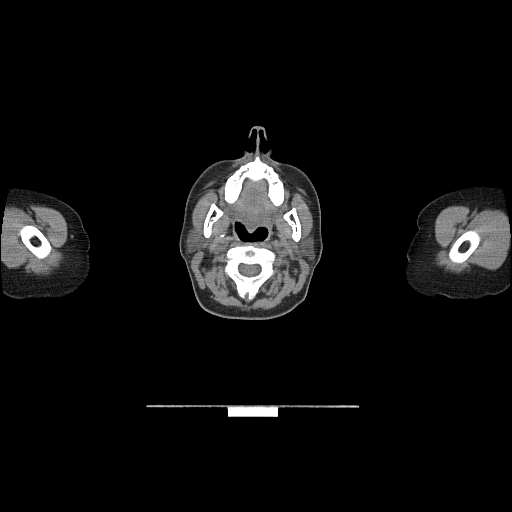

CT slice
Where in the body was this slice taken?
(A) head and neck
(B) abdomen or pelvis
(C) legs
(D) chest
(A) head and neck
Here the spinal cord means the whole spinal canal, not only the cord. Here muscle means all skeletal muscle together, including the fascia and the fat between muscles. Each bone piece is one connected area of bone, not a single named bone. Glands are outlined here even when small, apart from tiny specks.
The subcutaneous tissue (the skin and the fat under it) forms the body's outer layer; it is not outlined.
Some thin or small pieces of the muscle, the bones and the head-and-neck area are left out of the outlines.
{"parotid_glands":[[[192,226],[192,227],[196,231],[200,233],[200,235],[204,240],[204,245],[203,247],[201,248],[201,249],[196,251],[195,253],[193,254],[190,260],[188,259],[187,257],[186,247],[185,246],[185,239],[186,238],[186,236],[187,235],[188,231],[192,227]],[[312,232],[314,233],[316,237],[316,240],[317,241],[317,252],[316,253],[316,255],[314,259],[312,261],[312,262],[311,262],[309,264],[300,251],[300,249],[299,248],[299,242],[305,239],[307,237],[307,236],[308,236],[309,234],[310,234]]],"muscle":[{"outer":[[250,157],[226,178],[225,201],[234,203],[244,181],[249,179],[265,180],[270,201],[275,206],[283,202],[284,183],[275,169],[261,159],[264,158],[292,176],[309,195],[315,213],[315,232],[300,240],[302,226],[297,209],[293,206],[283,214],[291,227],[291,238],[298,242],[299,251],[309,265],[303,286],[274,308],[243,311],[215,303],[198,286],[190,261],[204,247],[205,240],[192,225],[191,205],[204,184],[234,163]],"holes":[[[248,244],[251,244],[256,247],[266,248],[271,250],[275,254],[275,259],[272,265],[274,272],[273,274],[258,288],[257,292],[252,299],[249,299],[247,297],[242,298],[237,291],[236,283],[225,272],[225,266],[227,261],[226,252],[228,249],[237,245]],[[212,203],[214,203],[222,211],[223,213],[216,220],[215,220],[213,222],[211,226],[211,233],[210,234],[210,236],[209,237],[205,237],[203,234],[203,224],[204,223],[204,220],[207,215],[207,213]],[[237,224],[240,224],[243,226],[243,227],[245,228],[245,229],[249,233],[253,232],[258,228],[265,228],[267,230],[267,234],[263,239],[260,239],[259,240],[253,240],[252,241],[244,240],[243,239],[241,239],[238,236],[238,234],[236,232],[236,225]]]},{"outer":[[450,205],[467,205],[469,207],[476,206],[486,207],[500,209],[507,212],[509,234],[511,237],[511,247],[507,251],[506,258],[499,268],[495,270],[452,273],[445,271],[434,263],[434,255],[436,252],[436,243],[434,239],[435,219],[438,213],[442,209]],"hole":[[468,230],[475,230],[477,232],[477,233],[480,237],[479,243],[476,247],[476,248],[471,253],[471,254],[463,262],[461,263],[455,263],[454,262],[452,262],[449,259],[449,257],[448,256],[449,250],[452,244],[456,240],[456,239],[465,231],[467,231]]},{"outer":[[29,204],[43,205],[47,207],[51,207],[59,211],[67,222],[69,236],[68,237],[68,240],[63,248],[64,251],[64,260],[57,269],[52,273],[44,276],[28,274],[17,269],[10,269],[1,260],[2,226],[4,219],[5,206],[6,205],[28,205]],"hole":[[24,225],[33,225],[34,226],[35,226],[45,236],[45,237],[49,242],[49,243],[52,248],[51,251],[49,253],[49,254],[46,257],[45,257],[44,258],[38,258],[24,244],[24,243],[22,241],[22,240],[21,239],[21,237],[19,234],[19,230]]}],"right_arm":[[[11,185],[18,185],[27,188],[32,188],[55,196],[71,206],[80,216],[83,226],[90,240],[89,256],[91,267],[89,275],[85,282],[81,287],[70,295],[61,298],[14,299],[4,294],[1,270],[2,226],[4,219],[4,210],[6,205],[6,200]]],"bones":[{"outer":[[248,244],[251,244],[256,247],[266,248],[271,250],[275,254],[275,259],[272,265],[274,272],[273,274],[258,288],[257,292],[252,299],[249,299],[247,297],[242,298],[237,291],[236,283],[225,272],[225,266],[227,261],[226,252],[228,249],[237,245]],"hole":[[242,263],[243,264],[247,264],[248,265],[252,265],[253,264],[257,264],[260,266],[260,271],[256,275],[253,275],[252,276],[246,276],[245,275],[243,275],[241,273],[240,273],[240,272],[238,269],[238,266],[240,264],[241,264]]},[[257,154],[262,161],[274,169],[282,181],[284,187],[282,202],[279,205],[275,205],[271,201],[268,196],[268,185],[265,179],[254,181],[249,178],[246,178],[243,181],[237,199],[232,203],[227,202],[225,199],[225,182],[227,178],[241,165],[251,161]],[[24,225],[33,225],[34,226],[35,226],[45,236],[45,237],[49,242],[49,243],[52,248],[51,251],[49,253],[49,254],[46,257],[45,257],[44,258],[38,258],[24,244],[24,243],[22,241],[22,240],[21,239],[21,237],[19,234],[19,230]],[[468,230],[475,230],[477,232],[477,233],[480,237],[479,243],[476,247],[476,248],[471,253],[471,254],[463,262],[461,263],[455,263],[454,262],[452,262],[449,259],[449,257],[448,256],[449,250],[452,244],[456,240],[456,239],[465,231],[467,231]],[[212,203],[214,203],[222,211],[223,213],[216,220],[215,220],[213,222],[211,226],[211,233],[210,234],[210,236],[209,237],[205,237],[203,234],[203,224],[204,223],[204,220],[207,215],[207,213]],[[293,207],[294,207],[296,209],[296,213],[299,219],[299,221],[300,222],[300,225],[301,226],[301,236],[300,237],[300,239],[298,241],[295,241],[292,238],[292,227],[290,225],[290,224],[284,218],[284,214],[286,212],[290,210]]],"left_arm":[[[474,185],[498,186],[503,193],[511,237],[510,275],[507,289],[495,295],[487,295],[478,299],[469,300],[452,299],[445,296],[428,297],[415,292],[405,280],[404,266],[407,260],[406,250],[418,229],[416,219],[419,212],[430,201],[445,193]]],"spinal_cord":[[[242,263],[243,264],[247,264],[248,265],[252,265],[253,264],[257,264],[260,266],[260,271],[256,275],[253,275],[252,276],[246,276],[245,275],[243,275],[241,273],[240,273],[240,272],[238,269],[238,266],[240,264],[241,264]]],"head_and_neck":[{"outer":[[257,139],[263,151],[271,148],[271,157],[274,160],[296,166],[311,180],[320,204],[323,248],[305,299],[290,312],[268,320],[228,319],[210,314],[198,304],[185,262],[180,254],[179,236],[187,196],[202,171],[216,161],[240,157],[243,148],[250,151]],"hole":[[237,224],[240,224],[243,226],[243,227],[245,228],[245,229],[249,233],[253,232],[258,228],[265,228],[267,230],[267,234],[263,239],[260,239],[259,240],[253,240],[252,241],[244,240],[243,239],[241,239],[238,236],[238,234],[236,232],[236,225]]}]}